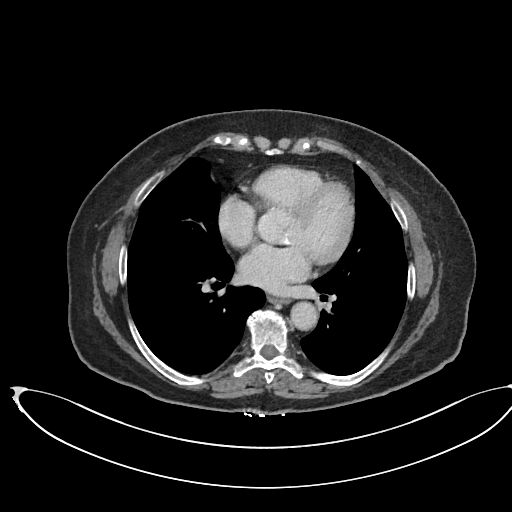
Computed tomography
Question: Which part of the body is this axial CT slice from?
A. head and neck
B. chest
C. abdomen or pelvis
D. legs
Answer: B. chest
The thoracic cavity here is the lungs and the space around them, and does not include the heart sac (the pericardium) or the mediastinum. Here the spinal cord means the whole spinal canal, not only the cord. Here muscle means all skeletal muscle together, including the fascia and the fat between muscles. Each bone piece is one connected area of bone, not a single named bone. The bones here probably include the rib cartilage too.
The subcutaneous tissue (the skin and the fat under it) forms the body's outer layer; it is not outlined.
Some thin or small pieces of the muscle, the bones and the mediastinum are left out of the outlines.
Outlines (x, y in pixels):
mediastinum 1: (217, 148) (268, 156) (284, 153) (310, 156) (336, 153) (355, 164) (353, 166) (354, 192) (351, 185) (333, 169) (303, 163) (273, 161) (259, 163) (248, 169) (236, 180) (222, 201) (220, 208) (221, 194) (219, 188) (210, 177) (211, 165) (203, 157) (196, 155) (204, 150)
mediastinum 2: (310, 282) (319, 302) (320, 307) (319, 320) (315, 327) (309, 333) (302, 336) (298, 340) (292, 339) (290, 337) (290, 329) (287, 325) (287, 322) (284, 316) (281, 313) (273, 309) (261, 308) (264, 305) (266, 300) (265, 293) (260, 287) (254, 286) (267, 288) (281, 288)
mediastinum 3: (235, 268) (235, 269) (236, 270) (236, 272) (237, 273) (238, 273) (238, 274) (243, 279) (243, 280) (244, 281) (247, 282) (249, 284) (250, 284) (251, 285) (253, 285) (250, 285) (249, 284) (246, 284) (245, 283) (244, 283) (238, 277) (238, 276) (236, 273) (236, 271) (235, 270)
spinal cord: (265, 345) (272, 345) (276, 349) (276, 350) (278, 352) (278, 354) (277, 355) (276, 355) (275, 356) (274, 356) (272, 358) (271, 358) (270, 359) (267, 359) (265, 357) (264, 357) (261, 354) (261, 353) (260, 352) (260, 351) (261, 350) (261, 349)
thoracic cavity 1: (193, 156) (203, 158) (210, 165) (209, 177) (220, 194) (218, 228) (237, 277) (246, 285) (260, 288) (265, 297) (263, 305) (245, 318) (246, 330) (240, 345) (221, 364) (200, 375) (186, 374) (173, 368) (151, 350) (132, 318) (127, 294) (128, 244) (139, 207) (163, 178)
thoracic cavity 2: (355, 165) (365, 172) (388, 203) (402, 230) (407, 258) (406, 299) (397, 326) (384, 348) (359, 370) (348, 374) (334, 374) (324, 371) (309, 362) (303, 354) (299, 340) (309, 334) (320, 320) (321, 307) (312, 285) (313, 280) (328, 272) (337, 263) (353, 235) (356, 216)
pericardium: (273, 162) (303, 164) (333, 170) (350, 185) (354, 193) (354, 225) (347, 247) (336, 263) (328, 271) (309, 282) (281, 287) (267, 287) (251, 284) (244, 280) (237, 272) (234, 261) (225, 248) (222, 240) (219, 228) (219, 212) (223, 201) (237, 180) (248, 170) (259, 164)
muscle 1: (302, 136) (331, 139) (367, 159) (417, 211) (435, 237) (442, 256) (443, 273) (435, 319) (405, 355) (375, 378) (352, 390) (321, 398) (285, 398) (267, 391) (219, 398) (163, 381) (121, 349) (92, 310) (90, 272) (94, 250) (117, 209) (144, 180) (133, 198) (137, 215) (127, 245) (123, 242) (119, 247) (117, 273) (119, 283) (126, 284) (131, 315) (126, 323) (130, 335) (145, 359) (166, 378) (181, 386) (204, 383) (207, 380) (199, 376) (230, 357) (243, 342) (247, 330) (251, 353) (233, 365) (231, 374) (239, 378) (252, 369) (261, 368) (267, 385) (273, 381) (273, 370) (277, 368) (297, 379) (304, 376) (301, 364) (286, 354) (290, 338) (298, 341) (308, 362) (321, 370) (312, 370) (311, 376) (336, 387) (360, 382) (390, 353) (394, 343) (391, 339) (406, 300) (411, 301) (416, 293) (417, 270) (412, 260) (408, 262) (403, 236) (409, 227) (406, 212) (395, 197) (386, 200) (363, 169) (361, 159) (352, 161) (337, 153) (343, 150) (341, 147) (318, 139) (314, 144) (331, 152) (310, 155) (303, 154) (312, 147) (312, 142) (306, 138) (292, 141) (282, 137) (272, 145) (270, 139)
muscle 2: (219, 132) (236, 132) (237, 133) (247, 133) (250, 135) (261, 135) (254, 135) (251, 139) (247, 135) (243, 134) (236, 134) (233, 136) (228, 135) (223, 136) (219, 134) (216, 134) (212, 138) (212, 142) (214, 144) (222, 147) (231, 146) (233, 149) (226, 149) (220, 147) (208, 148) (205, 150) (204, 149) (198, 153) (196, 153) (195, 155) (185, 159) (177, 167) (164, 177) (166, 171) (163, 168) (153, 173) (159, 166) (170, 158) (187, 151) (208, 136)
bones 1: (256, 309) (270, 309) (283, 316) (289, 329) (289, 346) (285, 354) (300, 364) (303, 372) (301, 378) (280, 367) (272, 370) (274, 375) (269, 384) (264, 377) (265, 370) (261, 367) (252, 368) (239, 377) (233, 376) (234, 365) (252, 353) (249, 347) (246, 318); inner edge: (265, 345) (272, 345) (276, 349) (276, 350) (278, 352) (278, 354) (277, 355) (276, 355) (275, 356) (274, 356) (272, 358) (271, 358) (270, 359) (267, 359) (265, 357) (264, 357) (261, 354) (261, 353) (260, 352) (260, 351) (261, 350) (261, 349)
bones 2: (216, 135) (243, 135) (251, 140) (254, 136) (263, 136) (271, 141) (272, 146) (276, 146) (282, 138) (289, 138) (292, 142) (301, 138) (309, 140) (311, 147) (302, 154) (291, 152) (289, 148) (281, 154) (268, 155) (255, 146) (237, 150) (231, 145) (216, 144) (213, 142)
bones 3: (129, 317) (133, 320) (133, 322) (136, 326) (144, 342) (150, 350) (159, 359) (160, 359) (168, 366) (183, 374) (185, 374) (186, 375) (196, 375) (206, 380) (200, 384) (196, 384) (195, 385) (181, 385) (169, 379) (158, 371) (146, 359) (137, 347) (128, 327) (127, 319)
bones 4: (391, 341) (393, 341) (391, 349) (387, 356) (380, 365) (370, 374) (356, 383) (354, 383) (351, 385) (336, 386) (335, 385) (321, 381) (313, 377) (311, 374) (311, 372) (312, 371) (323, 371) (334, 375) (348, 375) (349, 374) (355, 373) (362, 369) (373, 359) (374, 359)
bones 5: (162, 169) (163, 169) (165, 171) (165, 173) (163, 177) (161, 179) (161, 180) (151, 190) (151, 191) (143, 200) (143, 201) (140, 204) (140, 205) (138, 207) (135, 206) (134, 204) (134, 198) (137, 192) (139, 190) (141, 185) (151, 175) (152, 175) (154, 173)
bones 6: (123, 243) (124, 243) (127, 246) (127, 278) (126, 279) (126, 283) (125, 284) (124, 284) (123, 285) (122, 285) (120, 283) (120, 281) (119, 280) (119, 274) (118, 273) (118, 257) (119, 256) (119, 250) (120, 249) (120, 247) (121, 246) (121, 245)
bones 7: (391, 197) (393, 197) (395, 198) (400, 203) (401, 206) (403, 208) (405, 212) (405, 214) (407, 218) (407, 223) (408, 224) (408, 227) (406, 231) (403, 231) (403, 230) (400, 226) (400, 224) (398, 222) (397, 219) (395, 217) (390, 207) (390, 205) (389, 204) (389, 201)
bones 8: (410, 261) (412, 261) (413, 262) (414, 264) (414, 266) (415, 267) (415, 269) (416, 270) (416, 283) (415, 284) (415, 293) (414, 294) (414, 296) (413, 298) (411, 300) (407, 298) (407, 291) (406, 290) (406, 288) (407, 287) (407, 270) (408, 269) (408, 263)
bones 9: (318, 140) (321, 140) (324, 142) (326, 142) (327, 143) (329, 143) (330, 144) (333, 144) (334, 145) (341, 148) (342, 149) (342, 150) (340, 152) (333, 152) (332, 151) (329, 151) (326, 149) (324, 149) (323, 148) (318, 147) (315, 144) (316, 141) (317, 141)
torso: (252, 108) (300, 110) (364, 126) (399, 144) (447, 188) (468, 226) (476, 258) (467, 327) (460, 350) (452, 361) (422, 379) (371, 399) (321, 410) (261, 415) (161, 401) (95, 372) (80, 359) (68, 327) (66, 248) (74, 216) (88, 192) (120, 158) (162, 128) (194, 116)